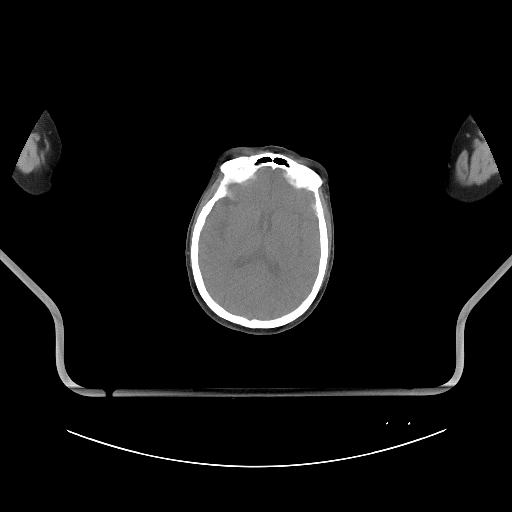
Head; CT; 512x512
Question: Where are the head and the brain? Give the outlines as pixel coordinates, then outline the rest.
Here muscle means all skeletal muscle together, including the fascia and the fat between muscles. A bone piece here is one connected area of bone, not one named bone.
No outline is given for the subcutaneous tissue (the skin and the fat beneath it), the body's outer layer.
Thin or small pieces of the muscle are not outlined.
Answer: {"head":[[[265,145],[277,145],[294,150],[319,162],[326,169],[329,176],[335,249],[329,281],[321,300],[312,313],[290,329],[275,334],[257,335],[223,326],[210,318],[202,310],[190,288],[184,250],[186,232],[193,210],[208,182],[217,158],[225,150],[232,147]]],"brain":[[[264,167],[281,170],[283,177],[291,187],[311,192],[313,196],[311,207],[317,219],[319,256],[311,287],[294,308],[271,318],[249,318],[229,311],[209,292],[199,263],[199,242],[207,217],[214,205],[218,200],[230,195],[228,186],[253,179],[256,172]]],"left_arm":[[[469,114],[471,115],[475,121],[489,148],[489,151],[493,157],[493,160],[495,162],[495,165],[499,173],[502,185],[494,193],[478,203],[472,205],[460,205],[454,203],[447,196],[444,189],[444,178],[446,172],[447,162],[450,156],[452,141],[461,123]]],"right_arm":[[[46,109],[48,109],[61,138],[61,142],[62,143],[61,157],[53,170],[53,184],[50,191],[43,195],[31,195],[23,191],[13,181],[12,174],[16,165],[18,163],[20,155],[26,145],[26,142],[28,140],[28,138],[34,126],[42,113]]],"muscle":[[[476,125],[477,125],[479,128],[479,130],[481,132],[487,144],[487,146],[489,148],[489,151],[493,157],[493,160],[495,162],[495,165],[498,172],[483,184],[480,185],[472,185],[471,186],[462,186],[456,182],[454,177],[455,163],[466,139],[467,134]],[[36,123],[47,129],[50,132],[50,139],[51,140],[52,155],[51,156],[48,167],[41,175],[31,175],[30,174],[24,174],[15,167],[18,163],[18,160],[20,157],[20,155],[22,153],[22,151],[26,145],[26,142],[28,140],[28,138]],[[324,181],[324,192],[328,205],[328,209],[330,215],[330,221],[331,222],[331,249],[330,250],[330,257],[329,258],[328,269],[324,280],[328,264],[328,258],[329,257],[328,230],[324,214],[324,209],[322,205],[320,193],[319,192],[319,189],[323,184]],[[219,170],[219,171],[222,174],[222,177],[219,181],[219,183],[213,194],[201,207],[198,214],[196,216],[196,218],[195,219],[195,221],[194,222],[193,223],[193,225],[193,222],[195,215],[197,212],[199,205],[203,199],[206,192],[216,178],[217,173]]],"bones":[{"outer":[[264,151],[284,154],[311,168],[321,177],[323,182],[318,192],[327,230],[328,257],[320,289],[310,306],[300,316],[273,328],[250,328],[218,316],[202,299],[192,274],[190,240],[197,216],[214,194],[223,177],[219,169],[220,165],[226,160],[238,156]],"hole":[[264,167],[281,170],[283,177],[291,187],[311,192],[313,196],[311,207],[317,219],[319,256],[311,287],[294,308],[271,318],[249,318],[229,311],[209,292],[199,263],[199,242],[207,217],[214,205],[218,200],[230,195],[228,186],[253,179],[256,172]]}]}